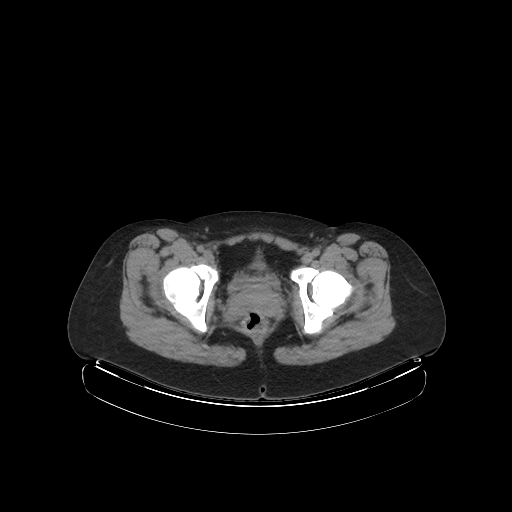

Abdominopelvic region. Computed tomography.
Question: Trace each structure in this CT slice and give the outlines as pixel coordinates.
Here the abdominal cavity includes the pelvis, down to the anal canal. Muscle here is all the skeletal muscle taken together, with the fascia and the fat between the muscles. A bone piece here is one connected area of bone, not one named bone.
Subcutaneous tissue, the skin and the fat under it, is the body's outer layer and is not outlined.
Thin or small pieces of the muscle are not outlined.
Answer: Outlined structures:
bones 1: 300,266 310,266 319,270 326,269 334,270 341,274 354,288 352,293 345,301 334,309 333,314 327,317 322,322 322,329 319,333 309,334 303,332 305,318 301,299 299,296 299,286 290,278 289,275 292,269
bones 2: 199,263 207,264 212,267 214,267 219,272 219,280 213,285 206,305 205,322 207,326 207,330 205,332 200,332 192,327 188,319 178,312 167,299 162,288 163,278 169,271 178,266 190,266 192,264 198,264
abdominal cavity: 244,240 261,240 267,243 272,243 283,250 294,252 299,259 299,263 289,271 288,275 294,282 291,283 292,289 290,306 277,320 275,325 258,340 233,325 218,321 216,309 220,272 215,251 222,245 231,246
muscle: 160,225 200,242 252,229 309,246 361,234 387,251 395,327 376,344 311,365 281,364 273,356 296,337 289,318 259,348 239,332 216,329 214,341 246,351 232,367 149,351 128,339 120,321 122,257 134,237 with a hole at 244,240 294,252 299,259 294,268 334,270 354,289 321,331 309,334 303,332 299,286 292,282 290,306 258,340 218,321 216,282 205,310 207,330 200,332 167,299 163,278 178,266 203,263 217,269 215,251
torso: 229,210 285,212 329,225 362,221 394,232 417,253 436,284 446,315 442,344 419,361 411,359 347,387 299,399 261,398 255,402 190,395 104,361 79,357 67,336 69,308 89,263 111,233 138,220 185,221